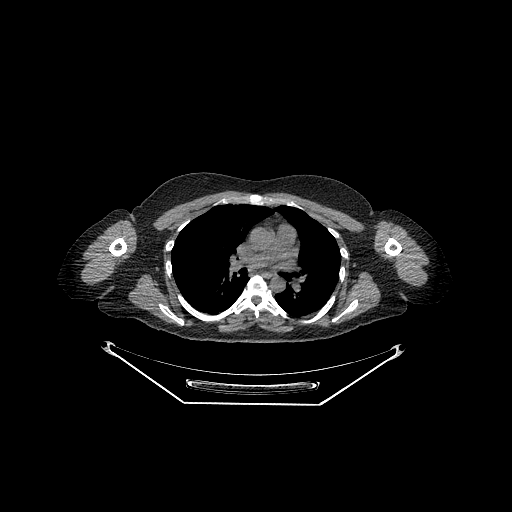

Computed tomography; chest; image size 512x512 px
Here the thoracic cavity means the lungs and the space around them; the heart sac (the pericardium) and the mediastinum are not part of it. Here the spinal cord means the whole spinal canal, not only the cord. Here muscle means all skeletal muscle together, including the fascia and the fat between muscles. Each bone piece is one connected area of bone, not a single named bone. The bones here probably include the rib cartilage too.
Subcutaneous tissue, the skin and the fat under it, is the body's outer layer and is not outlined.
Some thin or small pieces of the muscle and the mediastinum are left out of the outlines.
{"mediastinum":[[[297,234],[299,246],[296,264],[291,271],[280,273],[286,282],[285,287],[282,291],[273,295],[268,284],[260,274],[256,273],[249,277],[247,269],[242,266],[242,260],[237,248],[247,235],[245,252],[250,265],[260,271],[279,271],[286,268],[295,257]],[[275,212],[277,212],[279,213],[286,220],[287,222],[285,221],[279,221],[278,222],[274,222],[273,223],[267,223],[266,224],[261,224],[260,225],[257,225],[253,227],[253,226],[254,226],[257,223],[260,222],[265,218],[267,218],[271,216]]],"spinal_cord":[[[254,296],[255,296],[256,296],[257,296],[258,296],[259,297],[260,297],[260,298],[260,299],[260,300],[260,301],[259,302],[258,303],[257,303],[256,304],[255,303],[254,303],[253,302],[252,301],[252,300],[252,299],[252,298],[252,297],[253,297]]],"right_arm":[[[117,208],[124,208],[128,210],[131,214],[134,224],[135,250],[114,285],[107,291],[104,292],[97,299],[89,302],[81,302],[72,299],[60,289],[56,282],[56,277],[58,274],[60,265],[66,255],[67,251],[80,234],[89,226],[101,219],[110,211]]],"bones":[{"outer":[[256,274],[263,278],[277,303],[291,319],[279,314],[274,315],[265,309],[259,312],[256,319],[254,312],[246,308],[238,314],[233,312],[219,320],[204,321],[189,313],[177,297],[177,294],[180,293],[198,311],[214,315],[228,308],[240,295],[249,278]],"hole":[[254,296],[255,296],[256,296],[257,296],[258,296],[259,297],[260,297],[260,298],[260,299],[260,300],[260,301],[259,302],[258,303],[257,303],[256,304],[255,303],[254,303],[253,302],[252,301],[252,300],[252,299],[252,298],[252,297],[253,297]]},[[252,193],[261,194],[266,196],[288,198],[293,200],[303,207],[305,210],[302,210],[294,206],[289,206],[285,204],[268,206],[267,205],[256,205],[249,203],[225,203],[212,206],[213,203],[226,196],[230,196],[231,195],[244,196],[245,195],[249,195]],[[333,292],[335,294],[335,300],[332,306],[327,312],[326,312],[321,317],[320,317],[318,319],[311,323],[303,324],[299,322],[299,319],[307,319],[308,318],[310,318],[313,315],[314,315],[316,313],[316,312],[317,312],[326,303],[326,302],[329,299]],[[117,237],[123,237],[124,238],[124,240],[126,242],[126,243],[127,244],[127,249],[126,250],[126,251],[121,255],[120,255],[119,256],[114,256],[110,252],[110,251],[109,250],[109,246],[110,245],[110,244],[111,243],[111,242],[115,238],[116,238]],[[389,237],[393,237],[396,240],[397,240],[399,242],[399,243],[401,245],[401,251],[399,253],[399,254],[398,255],[396,255],[395,256],[389,256],[386,253],[386,252],[384,250],[384,245],[385,244],[385,243],[386,242],[386,241],[387,240],[387,239]],[[158,303],[162,303],[165,305],[167,305],[169,307],[169,308],[178,317],[179,317],[180,318],[182,318],[184,320],[184,325],[183,325],[182,326],[180,326],[179,325],[178,325],[169,317],[168,317],[166,315],[165,315],[160,310],[160,309],[158,306]],[[355,298],[356,298],[358,300],[358,305],[357,306],[357,307],[351,312],[350,312],[349,313],[347,313],[346,314],[343,315],[335,322],[332,322],[331,321],[331,319],[333,317],[334,317],[335,316],[336,316],[338,314],[339,314],[343,310],[344,310]],[[168,259],[170,259],[170,261],[171,262],[171,269],[172,270],[172,277],[171,278],[170,278],[166,274],[166,271],[165,270],[165,262]],[[171,239],[174,239],[174,243],[173,244],[173,246],[172,247],[172,248],[171,249],[171,250],[170,251],[165,251],[165,250],[164,249],[164,247],[165,246],[165,244],[166,243],[166,242],[167,241],[168,241],[169,240],[170,240]],[[341,265],[343,265],[344,266],[344,267],[345,268],[345,275],[344,276],[344,278],[343,279],[343,280],[341,282],[340,281],[339,281],[339,270],[340,269],[340,266]],[[341,246],[343,246],[344,247],[345,247],[346,248],[346,249],[347,250],[347,251],[348,252],[348,258],[347,259],[345,259],[344,258],[343,258],[341,256],[341,254],[340,253],[340,247]],[[187,219],[190,219],[190,221],[178,233],[176,231],[176,230],[177,229],[177,228],[184,221],[185,221]],[[327,227],[330,227],[331,228],[332,228],[333,229],[334,229],[335,230],[336,230],[339,233],[339,237],[338,238],[337,238],[336,239],[334,237],[334,236],[327,229]]],"muscle":[{"outer":[[267,192],[285,192],[317,202],[367,226],[382,220],[400,225],[429,259],[426,283],[413,286],[400,280],[373,248],[374,230],[368,228],[347,232],[343,237],[350,252],[351,273],[368,272],[377,283],[381,298],[378,305],[338,324],[286,332],[266,330],[255,324],[243,330],[221,332],[184,326],[185,320],[162,302],[157,303],[159,310],[176,324],[134,306],[127,294],[142,274],[162,279],[163,248],[170,252],[164,270],[170,279],[173,277],[179,303],[201,321],[215,322],[250,309],[256,320],[263,310],[288,320],[311,316],[298,319],[307,325],[327,313],[336,300],[336,285],[346,275],[342,258],[349,258],[347,248],[338,245],[340,233],[326,227],[293,199],[262,194]],"holes":[[[389,237],[393,237],[396,240],[397,240],[399,242],[399,243],[401,245],[401,251],[399,253],[399,254],[398,255],[396,255],[395,256],[389,256],[386,253],[386,252],[384,250],[384,245],[385,244],[385,243],[386,242],[386,241],[387,240],[387,239]],[[355,298],[356,298],[358,300],[358,305],[357,306],[357,307],[351,312],[350,312],[349,313],[347,313],[346,314],[343,315],[335,322],[332,322],[331,321],[331,319],[333,317],[334,317],[335,316],[336,316],[338,314],[339,314],[343,310],[344,310]]]},{"outer":[[122,219],[127,219],[133,222],[134,232],[136,237],[136,249],[135,251],[129,258],[121,264],[108,279],[103,280],[94,285],[88,285],[84,283],[81,280],[80,277],[80,271],[82,268],[81,259],[83,252],[89,244],[100,235],[105,229],[118,220]],"hole":[[117,237],[123,237],[124,238],[124,240],[126,242],[126,243],[127,244],[127,249],[126,250],[126,251],[121,255],[120,255],[119,256],[114,256],[110,252],[110,251],[109,250],[109,246],[110,245],[110,244],[111,243],[111,242],[115,238],[116,238]]},[[226,190],[244,191],[251,193],[244,195],[231,194],[219,198],[213,202],[209,208],[192,219],[187,218],[184,220],[175,230],[177,233],[175,239],[171,238],[166,241],[170,232],[166,229],[158,230],[152,226],[153,221],[158,216],[176,205],[205,195]]],"pericardium":[[[279,222],[285,222],[289,224],[295,230],[296,234],[295,238],[296,239],[296,248],[294,253],[294,257],[292,261],[286,267],[274,271],[260,270],[253,267],[248,259],[246,252],[246,239],[249,233],[253,228],[257,226],[266,225],[267,224],[273,224]]],"thoracic_cavity":[[[225,204],[294,207],[333,236],[341,257],[338,280],[314,314],[291,316],[274,296],[285,289],[281,273],[291,272],[297,264],[300,246],[296,229],[277,211],[253,225],[237,246],[248,280],[228,307],[211,314],[185,299],[173,276],[175,240],[191,220]]],"left_arm":[[[388,208],[400,211],[411,218],[424,228],[436,240],[440,246],[446,258],[449,269],[453,276],[453,283],[449,293],[439,301],[428,305],[418,305],[411,302],[408,302],[399,293],[398,290],[381,265],[371,237],[371,213],[372,212],[372,210],[383,210]]],"torso":[[[190,172],[215,172],[250,180],[315,174],[337,179],[357,190],[373,209],[370,237],[380,265],[407,302],[406,310],[400,315],[330,338],[273,343],[186,339],[136,319],[103,313],[98,309],[97,300],[115,285],[136,250],[135,224],[130,211],[166,180]]]}